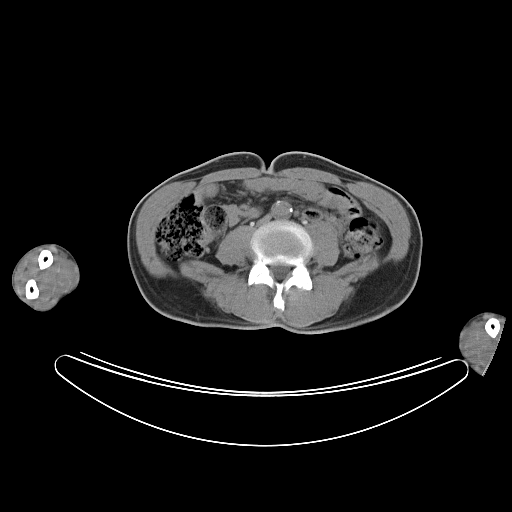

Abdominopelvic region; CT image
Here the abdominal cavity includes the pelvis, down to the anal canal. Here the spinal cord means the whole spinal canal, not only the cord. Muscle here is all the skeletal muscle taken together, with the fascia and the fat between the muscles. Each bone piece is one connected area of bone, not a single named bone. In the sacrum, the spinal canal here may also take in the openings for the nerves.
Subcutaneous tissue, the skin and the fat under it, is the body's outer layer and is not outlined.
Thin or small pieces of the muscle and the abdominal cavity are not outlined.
{"muscle":[[[239,167],[254,167],[265,174],[196,187],[161,217],[155,231],[156,252],[175,270],[190,261],[223,267],[215,255],[218,245],[231,230],[247,226],[252,232],[249,247],[254,254],[247,284],[273,288],[272,305],[282,312],[285,310],[284,291],[292,286],[305,291],[312,289],[306,263],[314,251],[307,230],[312,222],[327,222],[337,232],[339,255],[334,268],[371,254],[384,256],[392,238],[388,226],[378,215],[344,186],[307,177],[269,174],[292,167],[310,167],[367,182],[394,196],[403,206],[410,223],[406,256],[361,279],[347,310],[328,325],[318,328],[295,327],[279,320],[248,322],[211,306],[189,280],[151,276],[141,262],[135,237],[136,219],[145,201],[169,183]],{"outer":[[46,246],[53,246],[57,248],[73,262],[76,271],[76,277],[73,286],[68,291],[62,294],[51,305],[46,307],[39,307],[28,300],[34,300],[40,294],[36,280],[31,277],[25,282],[24,297],[17,291],[14,277],[19,264],[29,253],[38,248]],"hole":[[43,249],[48,249],[51,252],[51,253],[53,256],[53,261],[52,262],[52,263],[48,267],[47,267],[44,269],[40,269],[39,268],[39,264],[38,263],[38,256],[39,255],[39,254],[40,253],[40,252],[41,251],[41,250],[42,250]]},[[486,314],[500,317],[504,320],[504,323],[502,329],[499,319],[495,316],[490,316],[484,323],[484,330],[491,338],[493,339],[497,338],[500,334],[493,355],[485,370],[468,360],[466,357],[463,348],[463,336],[465,329],[473,321],[480,320]]],"bones":[{"outer":[[273,220],[290,220],[299,223],[308,232],[313,243],[313,251],[305,261],[311,279],[311,289],[305,290],[292,285],[287,291],[284,290],[282,311],[273,305],[275,294],[273,287],[264,283],[248,284],[248,274],[255,257],[250,247],[252,233],[262,224]],"hole":[[276,264],[281,264],[282,265],[285,265],[286,266],[288,266],[289,267],[290,267],[291,268],[290,269],[290,275],[289,276],[288,276],[286,278],[285,278],[282,280],[276,280],[271,275],[271,274],[270,273],[270,266],[273,266]]},[[490,317],[495,317],[497,318],[499,321],[499,324],[501,328],[501,335],[500,333],[499,335],[497,336],[497,337],[495,337],[494,338],[491,337],[486,332],[485,330],[485,323],[486,321]],[[43,249],[48,249],[51,252],[51,253],[53,256],[53,261],[52,262],[52,263],[48,267],[47,267],[44,269],[40,269],[39,268],[39,264],[38,263],[38,256],[39,255],[39,254],[40,253],[40,252],[41,251],[41,250],[42,250]],[[31,278],[32,278],[35,280],[35,281],[36,282],[36,284],[37,285],[37,287],[39,290],[39,294],[38,295],[38,296],[36,298],[35,298],[34,299],[28,299],[26,297],[26,296],[25,295],[25,285],[26,284],[26,282],[29,279],[30,279]]],"abdominal_cavity":[[[262,175],[346,188],[385,223],[389,249],[382,256],[371,253],[334,267],[340,248],[333,225],[316,219],[306,229],[294,220],[273,219],[253,231],[239,225],[226,233],[214,254],[223,266],[190,260],[175,269],[156,248],[158,225],[171,207],[196,188]]],"torso":[[[231,152],[256,153],[267,165],[285,152],[316,154],[399,192],[414,209],[422,233],[419,274],[407,299],[378,319],[356,327],[323,333],[295,333],[280,327],[202,327],[171,319],[154,310],[140,293],[128,263],[126,239],[132,211],[150,190],[170,176]]],"right_arm":[[[48,242],[57,243],[63,246],[74,256],[79,267],[80,279],[77,287],[71,293],[61,299],[52,309],[48,311],[37,311],[32,309],[25,303],[21,301],[17,297],[11,285],[11,274],[16,262],[26,251],[36,245],[38,245],[42,243],[47,243]]],"left_arm":[[[482,311],[499,312],[505,316],[505,321],[503,324],[503,328],[501,330],[501,335],[497,342],[497,345],[493,355],[485,369],[484,373],[482,375],[479,375],[472,369],[470,369],[467,363],[461,357],[458,349],[458,336],[459,332],[465,322],[470,317]]],"spinal_cord":[[[276,264],[281,264],[282,265],[285,265],[286,266],[288,266],[289,267],[290,267],[291,268],[290,269],[290,275],[289,276],[288,276],[286,278],[285,278],[282,280],[276,280],[271,275],[271,274],[270,273],[270,266],[273,266]]]}